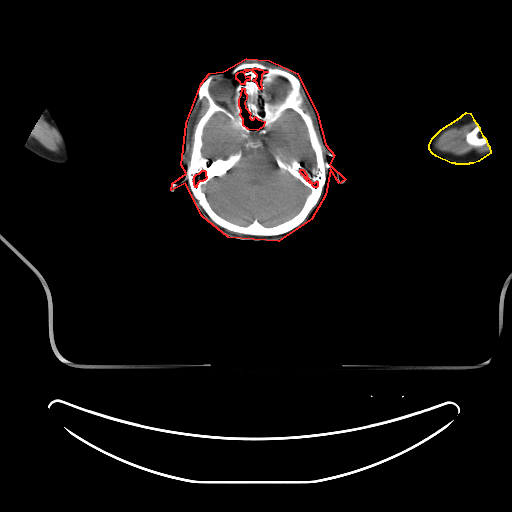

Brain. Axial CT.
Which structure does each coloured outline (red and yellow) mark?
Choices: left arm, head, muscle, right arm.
red: head; yellow: left arm.
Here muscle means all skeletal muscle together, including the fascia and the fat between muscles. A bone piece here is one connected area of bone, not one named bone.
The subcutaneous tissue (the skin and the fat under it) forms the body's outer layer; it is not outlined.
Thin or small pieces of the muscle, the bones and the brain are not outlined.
{"head":[{"outer":[[246,58],[269,60],[297,73],[317,114],[325,144],[334,155],[329,164],[345,179],[339,183],[330,169],[325,195],[311,219],[278,241],[228,237],[202,216],[185,183],[171,190],[172,183],[186,173],[181,165],[186,123],[201,83],[209,73],[223,71]],"holes":[[[242,88],[244,88],[244,92],[246,94],[246,98],[244,102],[245,107],[250,113],[249,117],[251,119],[253,119],[255,116],[258,119],[264,121],[263,126],[257,130],[248,129],[243,125],[243,119],[240,115],[241,110],[239,105],[239,99],[241,95]],[[253,68],[257,68],[258,69],[261,69],[264,71],[267,71],[267,72],[264,72],[261,75],[261,80],[260,81],[260,84],[261,85],[261,89],[260,89],[259,88],[257,83],[253,80],[254,79],[255,79],[257,76],[257,75],[252,70],[252,69]],[[245,69],[250,69],[250,70],[248,71],[246,71],[243,73],[245,77],[247,76],[249,76],[249,79],[248,80],[246,80],[244,82],[244,84],[241,84],[240,82],[237,79],[236,79],[236,74],[238,72],[240,71],[242,71]],[[202,170],[204,170],[205,171],[205,175],[206,176],[206,178],[204,180],[203,180],[202,181],[199,181],[197,183],[197,184],[196,185],[196,187],[195,187],[195,186],[194,185],[194,182],[193,181],[194,180],[194,176],[196,174],[199,173]],[[301,169],[302,169],[304,171],[304,172],[306,174],[306,176],[311,182],[314,183],[316,181],[317,181],[317,186],[316,187],[314,187],[312,185],[312,184],[311,183],[310,183],[307,181],[307,180],[305,178],[305,177],[300,172],[300,170]]]}],"left_arm":[[[466,112],[470,113],[473,119],[479,127],[479,129],[482,135],[485,138],[487,144],[489,146],[490,153],[478,161],[473,163],[469,163],[468,164],[456,164],[455,163],[451,163],[436,156],[432,153],[429,149],[429,145],[432,138],[441,129],[457,119]]],"brain":[[[288,110],[302,120],[315,161],[309,165],[294,158],[273,158],[279,169],[309,189],[300,209],[271,225],[257,218],[240,224],[220,215],[204,188],[235,167],[243,151],[225,158],[204,156],[205,126],[221,113],[246,140],[244,146],[256,149]]],"right_arm":[[[47,108],[48,108],[50,111],[51,115],[55,120],[59,128],[63,132],[67,140],[67,142],[69,144],[70,152],[71,153],[71,158],[69,161],[66,163],[56,163],[46,160],[32,153],[26,149],[24,146],[36,122],[38,121],[38,119],[44,110]]],"muscle":[[[468,123],[473,123],[475,125],[471,130],[466,133],[464,138],[465,142],[470,146],[477,145],[480,147],[485,145],[486,150],[484,152],[469,155],[466,154],[455,155],[451,153],[441,151],[435,147],[435,143],[437,139],[445,131],[451,128],[458,128]],[[42,119],[44,119],[50,125],[51,125],[58,132],[61,138],[61,145],[59,148],[59,150],[56,152],[52,151],[51,150],[49,150],[44,147],[40,143],[39,143],[35,138],[34,138],[32,134],[34,130],[37,127],[38,125],[38,122],[39,122]],[[203,98],[205,98],[206,99],[208,105],[206,110],[200,117],[194,127],[193,135],[192,136],[192,138],[193,139],[192,140],[191,151],[190,152],[189,160],[188,160],[190,128],[192,124],[192,121],[196,114],[196,112],[200,106],[201,100],[202,100]],[[304,98],[314,118],[314,121],[315,122],[315,124],[317,128],[317,132],[319,136],[319,139],[319,137],[317,134],[317,132],[314,126],[314,123],[313,122],[312,117],[307,112],[305,112],[301,106],[304,102]]],"bones":[{"outer":[[242,63],[259,63],[279,68],[299,80],[303,97],[300,106],[311,117],[328,164],[326,181],[316,205],[299,225],[277,235],[241,234],[218,225],[199,204],[186,176],[194,130],[209,105],[205,97],[200,100],[198,98],[198,89],[208,77],[212,76],[208,88],[209,94],[218,105],[231,110],[234,107],[238,81],[244,85],[250,79],[249,75],[245,76],[244,74],[250,71],[250,68],[245,68],[235,74],[232,71]],"holes":[[[288,110],[302,120],[315,161],[309,165],[294,158],[273,158],[279,169],[309,189],[300,209],[271,225],[257,218],[240,224],[220,215],[204,188],[235,167],[243,151],[225,158],[204,156],[205,126],[221,113],[246,140],[244,146],[256,149]],[[276,76],[280,76],[281,77],[285,78],[288,81],[288,83],[290,86],[290,89],[287,92],[286,95],[283,98],[283,99],[279,101],[275,101],[274,102],[272,102],[270,101],[268,94],[267,93],[267,86],[268,84],[269,84],[273,80],[274,77]],[[242,88],[244,88],[244,92],[246,94],[246,98],[244,102],[245,107],[250,113],[249,117],[251,119],[253,119],[255,116],[258,119],[264,121],[263,126],[257,130],[248,129],[243,125],[243,119],[240,115],[241,110],[239,105],[239,99],[241,95]],[[253,68],[257,68],[258,69],[261,69],[264,71],[267,71],[267,72],[264,72],[261,75],[261,80],[260,81],[260,84],[261,85],[261,89],[260,89],[259,88],[257,83],[253,80],[254,79],[255,79],[257,76],[257,75],[252,70],[252,69]],[[202,170],[204,170],[205,171],[205,175],[206,176],[206,178],[204,180],[203,180],[202,181],[199,181],[197,183],[197,184],[196,185],[196,187],[195,187],[195,186],[194,185],[194,182],[193,181],[194,180],[194,176],[196,174],[199,173]],[[301,169],[302,169],[304,171],[304,172],[306,174],[306,176],[311,182],[314,183],[316,181],[317,181],[317,186],[316,187],[314,187],[312,185],[312,184],[311,183],[310,183],[307,181],[307,180],[305,178],[305,177],[300,172],[300,170]]]},[[476,125],[477,125],[479,127],[479,129],[482,135],[485,138],[487,142],[487,144],[484,144],[480,146],[477,144],[475,144],[474,145],[470,145],[466,142],[466,140],[465,138],[466,137],[466,135],[467,133],[471,131],[475,127]]]}